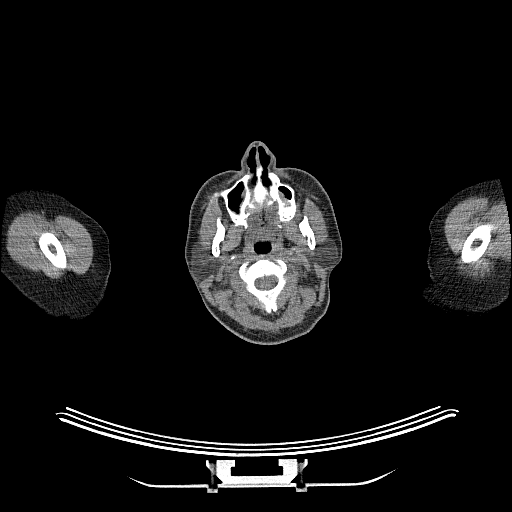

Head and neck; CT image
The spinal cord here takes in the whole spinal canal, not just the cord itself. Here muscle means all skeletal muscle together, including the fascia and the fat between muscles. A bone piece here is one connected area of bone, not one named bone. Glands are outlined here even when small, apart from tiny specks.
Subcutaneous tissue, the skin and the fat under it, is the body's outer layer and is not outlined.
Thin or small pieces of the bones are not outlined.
{"left_arm":[[[492,177],[497,177],[501,185],[507,213],[507,227],[511,236],[510,275],[507,298],[499,307],[484,316],[470,318],[450,315],[439,309],[433,308],[420,295],[420,288],[426,285],[430,280],[426,263],[430,243],[429,223],[434,213],[454,193],[473,183]]],"bones":[{"outer":[[259,164],[263,168],[261,181],[266,186],[269,184],[267,171],[272,171],[282,182],[293,188],[295,214],[288,221],[280,221],[275,202],[252,212],[247,217],[246,227],[235,225],[221,196],[211,203],[209,200],[214,192],[228,188],[248,172],[254,173]],"holes":[[[240,183],[242,184],[243,186],[243,188],[240,193],[240,196],[241,197],[241,201],[239,203],[238,205],[238,207],[237,208],[237,211],[236,211],[232,209],[232,208],[230,207],[230,205],[229,204],[229,194]],[[281,187],[283,187],[284,188],[285,188],[289,192],[289,197],[287,197],[286,196],[286,195],[285,194],[285,193],[283,191],[282,191],[280,189],[280,188]]]},{"outer":[[260,257],[264,257],[269,259],[280,258],[286,263],[287,266],[287,270],[285,274],[286,283],[276,299],[277,309],[276,311],[272,311],[270,313],[266,312],[258,299],[245,288],[245,283],[240,278],[238,272],[238,269],[242,263],[245,261],[252,263]],"hole":[[271,275],[273,275],[274,276],[275,276],[275,277],[276,278],[276,283],[275,284],[275,285],[273,287],[272,287],[269,289],[259,289],[255,285],[255,280],[256,279],[257,279],[258,278],[262,278],[265,276],[270,276]]},[[486,223],[488,223],[490,225],[490,234],[491,235],[491,237],[487,245],[487,247],[485,249],[483,254],[476,261],[470,262],[469,263],[461,263],[460,262],[460,253],[461,252],[461,248],[464,241],[475,226],[479,225],[480,224],[485,224]],[[47,231],[53,233],[60,241],[62,245],[62,247],[64,250],[64,252],[66,256],[66,262],[67,263],[67,267],[63,269],[61,269],[60,268],[55,268],[51,263],[51,262],[45,256],[38,244],[38,239],[41,233],[43,232],[46,232]],[[218,217],[220,218],[221,223],[225,228],[225,235],[223,239],[220,242],[219,244],[219,246],[220,247],[220,252],[219,253],[219,255],[217,257],[216,257],[214,256],[211,252],[211,245],[212,244],[212,240],[213,239],[213,237],[216,231],[216,220]],[[305,214],[307,216],[309,225],[311,227],[314,233],[314,236],[315,237],[315,241],[316,242],[315,247],[314,249],[312,250],[309,248],[307,244],[307,238],[301,233],[299,229],[299,223],[301,221],[301,220],[303,218],[303,216]]],"right_arm":[[[28,188],[42,188],[63,196],[72,204],[96,220],[107,234],[109,240],[111,270],[108,278],[105,295],[99,307],[93,313],[83,319],[77,321],[69,321],[63,317],[53,317],[46,314],[26,298],[4,276],[1,271],[1,237],[6,201],[11,193]]],"head_and_neck":[{"outer":[[253,141],[265,145],[275,157],[278,167],[302,169],[319,181],[330,198],[342,242],[341,260],[329,277],[330,299],[325,314],[308,333],[271,345],[248,342],[211,315],[197,291],[184,256],[189,210],[197,191],[211,176],[226,170],[238,170],[243,154]],"holes":[[[240,183],[242,184],[243,186],[243,188],[240,193],[240,196],[241,197],[241,201],[239,203],[238,205],[238,207],[237,208],[237,211],[236,211],[232,209],[232,208],[230,207],[230,205],[229,204],[229,194]],[[259,147],[262,147],[264,148],[268,156],[268,162],[265,167],[265,169],[266,170],[266,178],[268,181],[268,184],[267,185],[266,185],[262,181],[262,174],[263,173],[264,168],[261,164],[260,158],[259,157],[259,151],[258,150],[259,149]],[[262,241],[267,241],[268,242],[269,242],[269,243],[270,244],[270,249],[268,251],[267,251],[265,253],[258,253],[256,251],[256,250],[254,248],[254,245],[257,242],[261,242]],[[252,148],[254,148],[254,149],[255,150],[255,156],[254,157],[254,159],[255,160],[255,164],[256,165],[256,166],[255,167],[255,170],[254,171],[254,172],[252,172],[252,171],[250,168],[250,166],[248,163],[248,157],[249,156],[249,152]],[[281,187],[283,187],[284,188],[285,188],[289,192],[289,197],[287,197],[286,196],[286,195],[285,194],[285,193],[283,191],[282,191],[280,189],[280,188]]]}],"parotid_glands":[[[195,243],[201,245],[201,246],[211,255],[212,257],[212,259],[213,260],[213,268],[211,272],[210,272],[208,276],[201,282],[200,282],[200,280],[201,279],[200,276],[198,274],[196,270],[194,269],[194,267],[192,265],[192,248],[194,246],[194,244]],[[330,237],[333,240],[336,246],[337,258],[334,262],[334,263],[333,264],[330,264],[326,269],[324,267],[321,266],[315,260],[314,260],[313,259],[313,257],[314,256],[315,252],[317,250],[317,247],[318,245],[322,243],[327,238],[329,238]]],"muscle":[{"outer":[[271,170],[285,172],[303,182],[321,202],[329,237],[317,245],[312,259],[327,269],[325,293],[317,314],[303,327],[269,335],[254,335],[219,311],[205,297],[200,283],[212,272],[214,260],[196,242],[196,230],[199,208],[206,193],[212,186],[240,173],[245,173],[231,185],[214,191],[208,200],[209,204],[221,197],[229,219],[235,226],[246,228],[248,217],[252,213],[275,203],[279,221],[290,221],[297,209],[295,190]],"holes":[[[260,257],[264,257],[269,259],[280,258],[286,263],[287,266],[287,270],[285,274],[286,283],[276,299],[277,309],[276,311],[272,311],[270,313],[266,312],[258,299],[245,288],[245,283],[240,278],[238,272],[238,269],[242,263],[245,261],[252,263]],[[218,217],[220,218],[221,223],[225,228],[225,235],[223,239],[220,242],[219,244],[219,246],[220,247],[220,252],[219,253],[219,255],[217,257],[216,257],[214,256],[211,252],[211,245],[212,244],[212,240],[213,239],[213,237],[216,231],[216,220]],[[305,214],[307,216],[309,225],[311,227],[314,233],[314,236],[315,237],[315,241],[316,242],[315,247],[314,249],[312,250],[309,248],[307,244],[307,238],[301,233],[299,229],[299,223],[301,221],[301,220],[303,218],[303,216]],[[262,241],[267,241],[268,242],[269,242],[269,243],[270,244],[270,249],[268,251],[267,251],[265,253],[258,253],[256,251],[256,250],[254,248],[254,245],[257,242],[261,242]]]},{"outer":[[25,210],[44,211],[67,215],[76,219],[84,225],[92,238],[94,250],[92,260],[93,264],[86,273],[81,275],[68,273],[58,279],[55,279],[46,276],[42,272],[33,272],[27,270],[14,262],[8,254],[6,248],[6,233],[12,218],[21,211]],"hole":[[47,231],[53,233],[60,241],[62,245],[62,247],[64,250],[64,252],[66,256],[66,262],[67,263],[67,267],[63,269],[61,269],[60,268],[55,268],[51,263],[51,262],[45,256],[38,244],[38,239],[41,233],[43,232],[46,232]]},{"outer":[[474,195],[487,195],[491,198],[500,199],[503,202],[505,201],[508,220],[507,227],[508,232],[511,236],[511,259],[497,260],[493,274],[481,280],[474,280],[462,276],[459,273],[454,264],[451,249],[445,241],[443,229],[444,221],[450,210],[461,200]],"hole":[[486,223],[488,223],[490,225],[490,234],[491,235],[491,237],[487,245],[487,247],[485,249],[483,254],[476,261],[470,262],[469,263],[461,263],[460,262],[460,253],[461,252],[461,248],[464,241],[475,226],[479,225],[480,224],[485,224]]}],"spinal_cord":[[[271,275],[273,275],[274,276],[275,276],[275,277],[276,278],[276,283],[275,284],[275,285],[273,287],[272,287],[269,289],[259,289],[255,285],[255,280],[256,279],[257,279],[258,278],[262,278],[265,276],[270,276]]]}